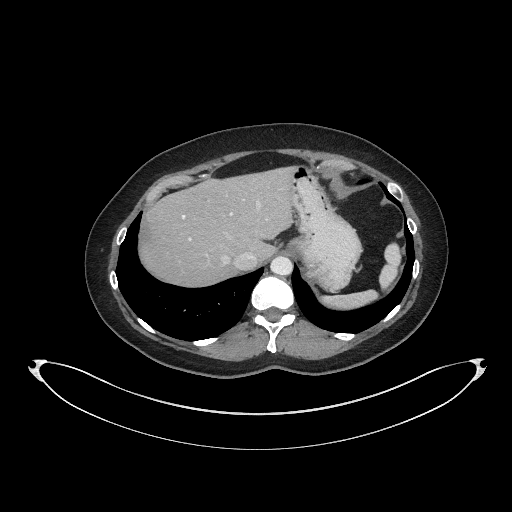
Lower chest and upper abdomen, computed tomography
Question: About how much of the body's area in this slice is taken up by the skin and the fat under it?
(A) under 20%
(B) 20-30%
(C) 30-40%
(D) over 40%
Answer: (B) 20-30%
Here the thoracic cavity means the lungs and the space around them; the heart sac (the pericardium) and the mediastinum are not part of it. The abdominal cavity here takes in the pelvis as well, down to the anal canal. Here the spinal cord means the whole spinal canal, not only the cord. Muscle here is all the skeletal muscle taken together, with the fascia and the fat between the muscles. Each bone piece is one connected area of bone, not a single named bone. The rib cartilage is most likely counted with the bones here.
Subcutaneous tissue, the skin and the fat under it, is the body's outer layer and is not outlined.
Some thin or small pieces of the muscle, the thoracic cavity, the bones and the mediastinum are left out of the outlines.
{"abdominal_cavity":[[[338,311],[357,309],[387,295],[405,264],[402,213],[375,179],[347,185],[341,177],[345,171],[318,170],[313,162],[266,152],[235,160],[188,184],[168,187],[146,203],[137,253],[143,267],[160,281],[205,287],[253,271],[284,255],[296,263],[318,302]]],"bones":[{"outer":[[272,353],[276,351],[276,335],[283,326],[292,323],[295,318],[295,315],[291,311],[291,308],[294,305],[295,301],[291,286],[285,281],[270,275],[259,279],[252,290],[250,305],[255,311],[253,318],[254,321],[257,324],[262,325],[269,332],[267,349]],"hole":[[271,321],[275,321],[276,320],[278,320],[279,319],[279,318],[282,314],[282,311],[280,309],[279,309],[278,308],[276,308],[275,307],[270,307],[269,308],[266,309],[264,311],[263,311],[263,314],[265,316],[265,317],[268,320],[270,320]]},[[148,202],[150,202],[154,199],[158,194],[166,187],[171,185],[181,185],[182,184],[188,183],[191,181],[193,181],[195,179],[194,177],[188,175],[178,175],[177,176],[173,176],[164,179],[156,185],[147,194],[146,196],[146,201]],[[346,171],[347,170],[350,170],[351,169],[355,169],[356,167],[354,164],[351,163],[349,161],[347,161],[343,159],[330,159],[329,160],[324,160],[322,161],[321,163],[317,166],[317,168],[318,169],[341,169],[342,170],[345,170]],[[401,202],[402,202],[403,201],[403,198],[404,197],[404,194],[403,193],[403,191],[402,190],[401,187],[397,183],[396,183],[393,181],[388,181],[386,183],[386,187],[387,188],[388,191],[395,198],[396,198],[399,201],[400,201]],[[115,290],[118,290],[119,289],[118,288],[118,283],[117,282],[117,278],[116,277],[116,274],[115,273],[115,270],[111,270],[109,272],[109,274],[108,275],[108,277],[109,278],[109,282],[110,283],[110,284],[111,285],[111,286],[112,287],[112,288]],[[343,340],[349,340],[350,339],[351,339],[352,338],[353,338],[355,336],[355,334],[354,333],[342,333],[341,332],[330,332],[333,335],[333,336],[334,336],[335,337],[336,337],[337,338],[339,338],[340,339],[342,339]],[[198,346],[200,346],[201,345],[206,345],[207,344],[209,344],[210,343],[217,340],[218,337],[217,336],[216,337],[211,337],[210,338],[207,338],[206,339],[202,339],[201,340],[195,340],[194,341],[192,341],[192,343],[194,345],[197,345]],[[117,245],[120,245],[120,244],[123,241],[123,240],[124,239],[124,238],[125,237],[125,235],[126,234],[126,232],[127,231],[127,227],[126,226],[123,226],[119,230],[119,231],[118,232],[118,233],[117,234],[117,236],[116,237],[116,243],[117,244]],[[381,322],[384,322],[385,321],[386,321],[387,320],[388,320],[391,317],[392,317],[398,311],[398,310],[400,308],[400,307],[401,306],[401,304],[400,303],[399,303],[397,305],[396,305],[380,321]],[[413,235],[414,234],[415,234],[415,233],[417,230],[417,228],[416,227],[416,225],[415,224],[414,221],[410,217],[407,217],[407,218],[406,219],[406,221],[407,222],[407,226],[408,227],[408,228],[409,229],[410,232]],[[153,333],[157,333],[158,332],[155,329],[154,329],[151,326],[150,326],[146,322],[145,322],[143,320],[142,320],[139,317],[138,317],[137,316],[137,317],[136,318],[137,321],[143,327],[144,327],[147,330],[148,330],[149,331],[150,331]],[[413,280],[414,279],[415,279],[415,278],[417,276],[417,274],[418,273],[418,271],[419,270],[419,262],[418,261],[418,260],[417,259],[417,258],[415,258],[415,259],[414,260],[414,263],[413,264],[413,268],[412,269],[412,278],[411,279],[412,279]]],"thoracic_cavity":[[[191,341],[216,336],[233,326],[241,318],[249,304],[251,290],[263,269],[262,267],[205,288],[182,288],[160,282],[142,267],[137,257],[136,236],[141,217],[140,212],[129,226],[126,237],[120,246],[116,267],[119,288],[136,314],[154,328],[170,336]],[[355,333],[379,321],[397,304],[411,278],[414,259],[412,235],[406,226],[401,203],[382,183],[380,185],[386,195],[401,209],[405,222],[407,259],[394,289],[369,306],[338,312],[326,309],[317,302],[295,265],[292,273],[295,300],[307,319],[330,331]]],"muscle":[[[311,360],[338,354],[374,336],[394,323],[414,303],[423,270],[424,256],[421,223],[402,187],[405,194],[402,203],[404,212],[415,221],[418,228],[413,236],[415,257],[420,262],[418,276],[415,280],[411,280],[400,302],[402,306],[392,318],[384,323],[378,322],[357,333],[349,341],[337,339],[329,331],[314,325],[303,316],[295,304],[292,311],[296,315],[296,318],[292,324],[283,327],[277,335],[277,351],[275,353]],[[228,361],[241,361],[267,351],[268,332],[253,321],[254,311],[249,305],[242,318],[220,334],[217,341],[198,347],[190,341],[160,332],[153,334],[143,328],[136,321],[135,313],[120,291],[111,288],[108,278],[110,290],[123,316],[133,328],[176,349]],[[107,277],[108,272],[111,269],[115,269],[117,262],[119,246],[117,246],[115,243],[115,237],[118,230],[123,225],[126,225],[128,227],[135,216],[140,211],[142,212],[146,202],[145,201],[146,194],[161,180],[173,175],[188,174],[193,175],[197,179],[196,176],[198,174],[203,172],[211,173],[219,167],[240,157],[259,152],[272,151],[301,157],[313,161],[316,164],[319,164],[324,159],[343,158],[354,163],[357,167],[356,169],[361,170],[378,181],[385,184],[388,180],[393,180],[397,182],[378,169],[360,160],[341,154],[320,150],[302,148],[260,148],[237,151],[215,157],[190,168],[165,174],[154,181],[147,188],[132,210],[116,230],[111,242],[111,250],[107,264]]],"spinal_cord":[[[271,321],[275,321],[276,320],[278,320],[279,319],[279,318],[282,314],[282,311],[280,309],[279,309],[278,308],[276,308],[275,307],[270,307],[269,308],[266,309],[264,311],[263,311],[263,314],[265,316],[265,317],[268,320],[270,320]]],"mediastinum":[[[291,285],[291,273],[293,269],[293,266],[295,264],[294,262],[290,261],[289,259],[286,258],[284,256],[280,256],[270,261],[263,267],[264,270],[261,277],[262,276],[265,276],[266,275],[269,275],[270,274],[272,275],[275,275],[285,280]],[[347,184],[360,184],[356,184],[355,183],[357,181],[359,180],[361,180],[362,179],[370,179],[371,180],[371,178],[367,176],[365,174],[364,174],[361,171],[358,171],[357,170],[351,170],[350,171],[347,171],[342,174],[342,177],[344,181]]],"torso":[[[216,378],[243,377],[270,369],[305,375],[345,370],[395,348],[421,325],[443,283],[448,239],[435,197],[412,170],[359,135],[312,123],[272,122],[226,128],[182,142],[148,159],[125,181],[88,234],[84,276],[90,299],[104,323],[142,354],[174,369]]]}